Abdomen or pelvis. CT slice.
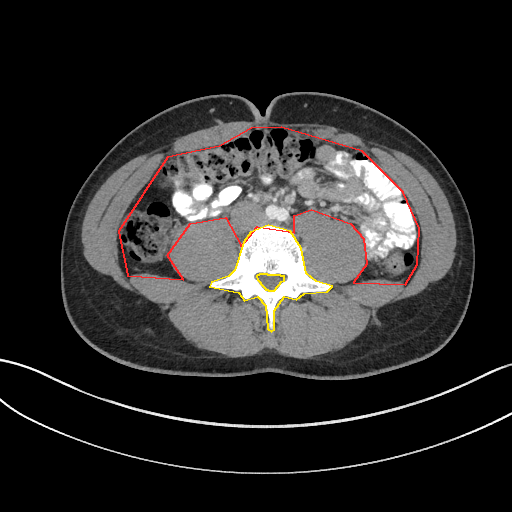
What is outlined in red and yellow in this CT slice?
red: abdominal cavity; yellow: bones.
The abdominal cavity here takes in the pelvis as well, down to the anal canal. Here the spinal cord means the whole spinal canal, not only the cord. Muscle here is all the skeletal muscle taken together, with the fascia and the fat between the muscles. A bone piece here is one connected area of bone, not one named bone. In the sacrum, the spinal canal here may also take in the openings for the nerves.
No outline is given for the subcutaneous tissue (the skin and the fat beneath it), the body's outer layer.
Outlines:
abdominal cavity: 405 284; 417 264; 419 228; 403 192; 362 151; 281 127; 251 128; 219 146; 167 157; 118 231; 127 275; 183 279; 167 255; 190 223; 225 217; 241 246; 257 226; 294 232; 294 215; 311 209; 350 223; 363 238; 366 264; 353 282
bones: 271 331; 274 329; 274 310; 284 296; 296 299; 304 293; 327 291; 332 286; 316 281; 306 273; 301 248; 290 231; 268 225; 250 232; 243 242; 234 270; 228 276; 211 282; 209 286; 238 292; 244 300; 257 296; 265 305; 267 328 with a hole at 268 290; 274 290; 276 288; 276 287; 280 283; 280 282; 281 281; 284 280; 284 276; 281 276; 280 275; 268 275; 267 274; 259 274; 258 275; 257 275; 256 276; 257 279; 260 282; 260 283; 265 288; 265 289; 267 289
spinal cord: 268 290; 274 290; 276 288; 276 287; 280 283; 280 282; 281 281; 284 280; 284 276; 281 276; 280 275; 268 275; 267 274; 259 274; 258 275; 257 275; 256 276; 257 279; 260 282; 260 283; 265 288; 265 289; 267 289
muscle: 299 359; 334 355; 365 330; 379 308; 428 290; 451 268; 457 243; 453 214; 443 190; 424 166; 402 151; 332 125; 232 120; 177 136; 133 157; 106 178; 90 200; 81 226; 81 253; 94 270; 153 302; 201 351; 227 358; 274 351, around a hole outlined by 271 331; 284 296; 332 286; 306 273; 295 214; 311 209; 355 227; 366 264; 353 282; 406 284; 419 251; 412 206; 377 163; 275 126; 167 157; 118 231; 127 275; 183 279; 167 259; 176 233; 225 217; 239 258; 209 286; 257 296
torso: 349 381; 431 358; 456 333; 469 304; 475 270; 469 212; 447 169; 416 135; 371 107; 333 94; 284 93; 271 100; 264 115; 242 96; 215 94; 157 113; 105 154; 71 204; 60 254; 64 309; 88 345; 116 364; 145 373; 273 372